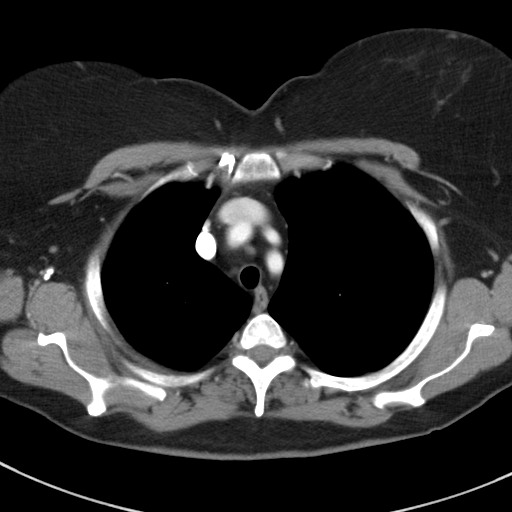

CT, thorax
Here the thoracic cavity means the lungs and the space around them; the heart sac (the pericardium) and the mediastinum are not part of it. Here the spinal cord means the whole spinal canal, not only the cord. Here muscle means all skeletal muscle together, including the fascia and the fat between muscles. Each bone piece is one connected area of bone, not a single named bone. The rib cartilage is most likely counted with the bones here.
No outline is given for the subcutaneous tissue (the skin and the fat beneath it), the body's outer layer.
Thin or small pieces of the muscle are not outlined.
The mediastinum is outlined by (261, 180) (277, 182) (274, 189) (274, 197) (279, 210) (287, 222) (288, 253) (279, 285) (267, 305) (267, 312) (260, 312) (249, 318) (252, 306) (252, 298) (250, 295) (226, 276) (219, 268) (202, 258) (196, 251) (195, 242) (212, 206) (220, 194) (222, 186). The thoracic cavity appears in 2 outlined pieces: piece 1: (338, 162) (350, 164) (376, 180) (407, 209) (423, 232) (434, 262) (431, 299) (413, 337) (383, 367) (354, 376) (330, 374) (306, 357) (297, 355) (293, 339) (268, 312) (268, 305) (280, 285) (289, 253) (288, 222) (275, 197) (278, 182) (297, 169) (301, 172) (326, 171); piece 2: (210, 172) (214, 173) (214, 176) (221, 181) (222, 185) (195, 238) (194, 248) (202, 259) (219, 269) (249, 295) (251, 306) (245, 323) (207, 363) (191, 371) (171, 369) (152, 361) (138, 352) (120, 333) (105, 303) (101, 270) (116, 232) (136, 204) (168, 183) (188, 182). The torso is outlined by (417, 26) (469, 32) (511, 56) (511, 386) (450, 425) (425, 435) (313, 457) (260, 460) (187, 458) (101, 444) (72, 434) (0, 397) (0, 87) (6, 81) (47, 62) (97, 58) (127, 63) (159, 77) (198, 80) (255, 108) (285, 80) (314, 71) (342, 46) (376, 32). The spinal cord is outlined by (258, 345) (266, 345) (267, 346) (269, 346) (271, 348) (272, 348) (275, 351) (275, 356) (270, 361) (269, 361) (265, 365) (264, 365) (263, 366) (260, 366) (254, 360) (253, 360) (248, 355) (248, 351) (250, 349) (251, 349) (252, 348) (253, 348) (254, 347) (255, 347). The bones appear in 7 outlined pieces: piece 1: (441, 282) (447, 291) (439, 323) (425, 347) (397, 374) (371, 388) (345, 391) (305, 387) (307, 374) (297, 365) (271, 380) (263, 414) (256, 417) (254, 386) (228, 361) (230, 341) (248, 319) (268, 313) (292, 339) (300, 362) (334, 376) (360, 376) (383, 368) (404, 350); inner edge: (258, 345) (266, 345) (267, 346) (269, 346) (271, 348) (272, 348) (275, 351) (275, 356) (270, 361) (269, 361) (265, 365) (264, 365) (263, 366) (260, 366) (254, 360) (253, 360) (248, 355) (248, 351) (250, 349) (251, 349) (252, 348) (253, 348) (254, 347) (255, 347); piece 2: (56, 331) (64, 333) (72, 360) (98, 377) (139, 379) (123, 359) (164, 374) (214, 370) (200, 381) (166, 386) (162, 401) (133, 387) (109, 388) (103, 395) (105, 412) (92, 416) (86, 410) (92, 397) (88, 382) (68, 364) (57, 344) (37, 343) (39, 332); piece 3: (223, 150) (237, 151) (238, 159) (251, 150) (264, 150) (273, 157) (277, 150) (282, 150) (296, 155) (311, 154) (330, 159) (334, 163) (326, 170) (309, 170) (303, 167) (293, 171) (282, 169) (282, 177) (279, 181) (261, 179) (223, 185) (221, 180) (226, 168) (217, 165); piece 4: (473, 323) (491, 324) (494, 330) (490, 335) (475, 338) (469, 352) (460, 362) (423, 385) (420, 393) (426, 400) (424, 404) (413, 407) (406, 403) (390, 402) (383, 408) (379, 408) (372, 403) (370, 398) (379, 391) (395, 391) (411, 387) (448, 366) (463, 351) (469, 328); piece 5: (97, 245) (98, 245) (98, 257) (101, 265) (101, 269) (100, 270) (101, 288) (102, 289) (104, 303) (109, 314) (109, 318) (108, 319) (109, 330) (106, 330) (100, 324) (97, 318) (95, 316) (89, 304) (88, 298) (86, 295) (86, 290) (85, 289) (85, 264) (88, 255); piece 6: (408, 201) (410, 202) (413, 202) (419, 207) (423, 208) (431, 216) (434, 221) (434, 223) (436, 227) (436, 231) (437, 232) (438, 244) (439, 245) (437, 252) (434, 257) (432, 254) (432, 252) (430, 249) (430, 246) (428, 243) (427, 238) (424, 232) (406, 207) (406, 204); piece 7: (189, 160) (190, 161) (194, 161) (199, 163) (199, 169) (200, 170) (198, 176) (196, 176) (188, 181) (183, 181) (182, 182) (179, 181) (172, 181) (171, 182) (168, 182) (153, 190) (145, 197) (141, 199) (143, 194) (146, 190) (161, 176) (163, 176) (175, 168) (183, 165). The muscle is outlined by (336, 136) (406, 144) (423, 168) (460, 190) (407, 173) (445, 210) (458, 277) (499, 268) (511, 252) (511, 356) (503, 363) (426, 403) (424, 385) (495, 330) (473, 322) (448, 365) (369, 398) (379, 409) (390, 403) (414, 408) (383, 423) (349, 427) (262, 417) (272, 380) (297, 366) (306, 374) (305, 388) (345, 392) (397, 375) (434, 335) (448, 289) (441, 281) (432, 296) (438, 232) (415, 202) (404, 206) (345, 161) (282, 149) (273, 156) (251, 149) (238, 158) (237, 150) (223, 149) (216, 164) (225, 168) (221, 179) (213, 171) (199, 175) (200, 163) (189, 159) (145, 190) (102, 264) (98, 244) (87, 255) (84, 289) (99, 324) (109, 331) (110, 317) (134, 350) (162, 367) (195, 371) (230, 343) (227, 361) (249, 378) (255, 417) (159, 433) (125, 414) (102, 415) (109, 389) (133, 388) (162, 402) (166, 387) (200, 382) (215, 368) (164, 373) (123, 358) (139, 378) (98, 376) (73, 360) (61, 330) (39, 331) (36, 343) (57, 345) (87, 382) (85, 410) (68, 395) (0, 368) (0, 268) (55, 269) (76, 282) (102, 198) (48, 201) (80, 186) (104, 155) (154, 140) (261, 146).